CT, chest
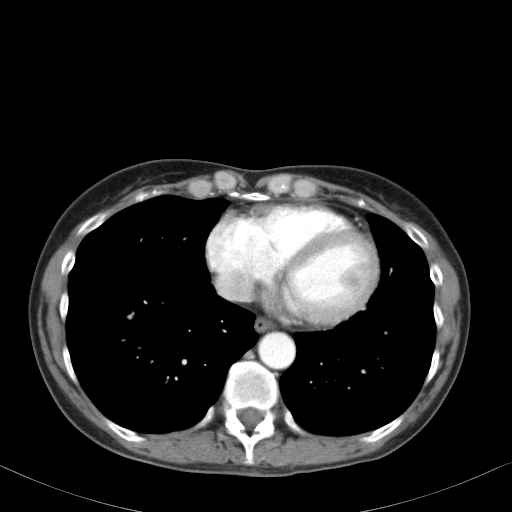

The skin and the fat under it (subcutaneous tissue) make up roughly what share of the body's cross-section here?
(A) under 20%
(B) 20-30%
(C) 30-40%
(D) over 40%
(A) under 20%
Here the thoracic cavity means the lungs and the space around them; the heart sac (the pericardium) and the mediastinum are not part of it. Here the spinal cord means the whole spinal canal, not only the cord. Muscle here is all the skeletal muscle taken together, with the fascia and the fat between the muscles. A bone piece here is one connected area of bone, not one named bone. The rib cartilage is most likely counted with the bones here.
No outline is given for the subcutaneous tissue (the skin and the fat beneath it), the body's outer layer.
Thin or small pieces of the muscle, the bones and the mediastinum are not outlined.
Outlines:
bones 1: 242,360 256,361 273,373 283,404 294,421 306,432 299,434 292,431 284,422 282,409 279,408 274,421 274,434 260,439 254,445 254,462 251,465 244,463 245,449 242,443 226,432 219,401 229,368 233,363 with a hole at 248,407 252,407 253,408 255,408 263,412 263,417 262,419 259,422 258,422 252,429 250,430 246,428 246,427 243,424 243,423 239,419 237,415 238,413 238,410 240,409 243,409 244,408 247,408
bones 2: 221,171 236,179 235,189 240,193 267,193 268,180 280,174 306,179 316,184 318,190 306,198 282,193 272,194 265,200 249,200 219,192 214,186 214,196 198,199 188,192 188,184 198,179 212,181 214,175
bones 3: 403,413 404,413 404,418 400,423 400,424 389,433 386,434 381,438 373,442 364,442 363,441 361,441 359,440 359,438 360,437 362,436 364,436 365,435 367,435 369,434 371,431 375,429 377,429 389,423
bones 4: 104,416 116,424 124,428 126,428 136,432 139,435 141,435 145,437 146,439 144,441 141,441 140,442 136,442 135,441 129,441 128,440 126,440 124,438 118,435 114,431 113,431 105,423 103,420 103,417
bones 5: 106,211 107,211 109,213 109,217 108,217 100,225 99,225 97,227 96,227 94,229 93,229 91,231 87,233 84,236 82,235 77,235 77,231 79,229 81,225 88,218 97,213 99,213 100,212 105,212
bones 6: 404,222 408,222 409,223 412,224 415,227 416,227 424,235 424,236 426,238 426,239 428,242 428,244 429,245 429,246 427,248 426,248 425,249 423,249 417,243 416,243 406,233 406,232 402,228 402,224
bones 7: 153,188 164,190 165,191 165,193 164,194 161,194 160,195 158,195 157,196 155,196 154,197 152,197 151,198 149,198 148,199 146,199 139,202 136,202 132,204 130,203 130,200 139,191 149,190
bones 8: 65,344 66,344 68,351 69,352 69,356 70,357 70,360 71,361 71,364 72,365 73,370 79,382 79,384 78,385 75,384 70,378 67,372 67,370 63,360 63,356 62,355 62,348 63,347 63,345
bones 9: 435,348 437,348 439,350 439,362 438,363 438,366 437,367 437,369 433,377 427,384 424,385 423,384 424,383 425,378 428,373 428,371 430,367 430,364 431,363 432,354
bones 10: 214,404 217,406 217,409 216,410 216,412 215,413 215,415 213,419 209,423 208,423 205,426 203,427 201,427 200,428 197,428 196,429 193,428 193,427 204,417 204,416 206,414 210,406
pericardium: 276,198 317,200 340,206 355,212 361,217 371,232 379,257 379,281 369,298 366,307 348,319 342,321 336,327 325,330 291,329 282,325 259,310 224,298 217,291 205,259 205,244 212,228 222,213 230,207
spinal cord: 248,407 252,407 253,408 255,408 263,412 263,417 262,419 259,422 258,422 252,429 250,430 246,428 246,427 243,424 243,423 239,419 237,415 238,413 238,410 240,409 243,409 244,408 247,408
muscle 1: 217,170 237,172 252,186 266,175 295,173 360,192 430,234 455,270 460,290 461,322 458,347 450,372 428,407 377,450 345,460 292,467 252,465 255,462 253,451 260,440 275,434 279,409 285,425 296,434 305,435 307,431 326,436 349,436 369,432 358,438 364,443 376,442 401,424 405,418 404,412 422,386 434,377 440,362 440,350 435,347 435,341 436,332 443,325 444,315 438,302 434,300 434,295 435,287 443,283 443,274 436,262 428,263 423,250 430,246 427,238 408,221 404,221 400,227 390,219 370,211 372,210 362,197 351,197 344,201 316,195 319,190 316,183 306,178 294,178 287,173 271,176 265,184 267,192 240,192 236,189 237,179 221,170 213,175 212,180 198,178 190,181 186,190 193,197 167,194 164,189 156,187 139,190 129,200 130,205 110,216 107,210 100,211 138,188 173,183 201,174 211,175
muscle 2: 84,220 76,231 82,239 75,251 71,248 64,254 60,264 61,274 67,276 67,291 61,293 58,303 60,318 65,322 66,343 62,345 61,355 69,378 81,386 103,415 104,423 129,442 144,442 146,437 139,434 203,428 214,419 219,402 225,432 241,443 244,464 175,463 135,453 88,419 59,387 45,361 38,334 40,286 50,258
thoracic cavity 1: 165,194 198,200 215,197 228,202 205,240 205,264 215,292 254,315 253,329 257,339 230,365 219,400 211,404 194,425 163,433 138,433 105,416 76,375 66,339 68,275 74,266 77,248 87,234 117,212
thoracic cavity 2: 372,212 401,228 422,249 426,258 429,277 434,286 432,313 436,329 429,367 411,403 389,422 370,431 349,435 313,433 295,421 282,400 279,382 296,358 296,333 331,330 367,308 381,275 378,249 367,220
mediastinum 1: 231,302 259,311 282,326 291,330 313,331 298,331 294,334 293,338 296,346 295,358 289,367 282,374 278,382 274,373 258,361 245,359 238,360 256,343 258,339 258,334 254,329 255,315 250,310
mediastinum 2: 282,194 289,194 293,197 304,199 314,196 321,196 326,198 333,198 337,201 347,202 353,206 371,212 366,216 366,220 369,227 364,219 351,209 317,199 300,199 293,197 276,197 270,199 272,195 278,196
mediastinum 3: 220,194 226,194 228,196 232,198 243,199 244,200 248,200 249,201 259,201 254,201 250,203 240,203 237,205 230,206 225,210 224,210 228,206 229,202 224,198 216,197 215,196 216,195 219,195
torso: 159,158 192,158 249,169 354,166 399,183 433,211 465,267 471,317 457,377 416,435 376,460 289,476 251,477 178,471 126,458 96,444 68,421 42,379 30,340 27,305 38,257 58,217 86,188 116,170